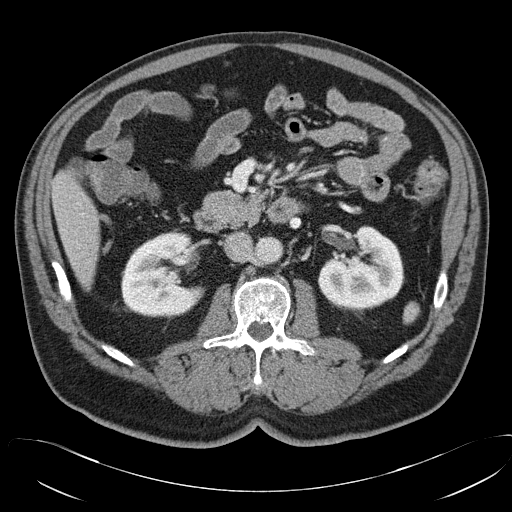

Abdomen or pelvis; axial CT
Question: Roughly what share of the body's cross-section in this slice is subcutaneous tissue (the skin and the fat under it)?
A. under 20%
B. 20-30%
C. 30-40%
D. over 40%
Answer: A. under 20%
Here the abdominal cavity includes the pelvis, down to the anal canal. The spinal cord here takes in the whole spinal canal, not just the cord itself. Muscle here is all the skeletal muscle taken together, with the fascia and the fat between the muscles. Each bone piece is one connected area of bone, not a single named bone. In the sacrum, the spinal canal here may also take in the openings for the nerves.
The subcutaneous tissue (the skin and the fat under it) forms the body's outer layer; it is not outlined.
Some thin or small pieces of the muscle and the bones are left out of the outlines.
The bones appear in 5 outlined pieces: piece 1: 261,276 284,279 292,300 284,332 290,338 306,340 316,352 304,355 283,349 273,354 269,348 265,349 260,358 263,391 256,390 252,382 255,354 251,348 203,346 206,339 235,329 234,292 245,281 with a hole at 253,322 258,322 260,324 262,324 263,323 268,323 272,328 272,332 271,333 271,334 268,337 267,337 263,340 257,340 256,339 255,339 252,336 251,336 248,332 248,328 249,327 249,326; piece 2: 443,268 444,268 446,271 446,273 447,274 447,278 448,279 447,281 447,295 442,306 439,309 436,310 433,304 433,296 434,295 434,288 435,287 435,284 436,283 436,280 437,279 438,273 439,271; piece 3: 53,260 57,261 64,269 67,279 69,282 69,285 70,286 72,296 71,297 71,300 68,303 66,303 63,300 61,295 59,293 59,291 58,290 58,284 57,283 57,278 55,274 55,271 51,264 51,262; piece 4: 101,341 102,342 107,343 115,347 117,349 120,350 122,352 123,352 128,357 129,357 134,363 135,363 136,366 135,367 131,367 124,363 122,363 114,359 111,356 108,355 100,346 100,344 99,343; piece 5: 407,341 409,342 409,345 408,346 408,348 407,350 402,355 394,359 392,361 388,362 387,363 383,363 381,361 382,359 386,355 387,355 390,352 391,352 393,350 394,350 396,348 397,348 399,346 400,346. The torso is outlined by 248,30 318,35 387,61 435,94 476,146 489,196 481,321 457,387 419,420 327,445 291,445 257,426 220,446 180,448 92,421 60,401 42,376 28,333 14,243 17,185 35,138 66,101 117,66 186,39. The spinal cord is outlined by 253,322 258,322 260,324 262,324 263,323 268,323 272,328 272,332 271,333 271,334 268,337 267,337 263,340 257,340 256,339 255,339 252,336 251,336 248,332 248,328 249,327 249,326. The muscle is outlined by 253,42 261,42 262,43 287,42 304,44 320,48 326,48 358,59 399,81 418,96 423,98 439,109 454,124 466,144 467,150 469,152 474,166 477,182 478,200 480,206 480,227 478,233 479,236 477,246 475,251 475,259 472,267 471,280 466,292 465,298 454,314 454,320 445,328 444,331 439,336 439,339 434,345 433,351 428,360 420,369 410,376 386,384 356,403 345,407 339,407 336,409 315,415 302,415 294,413 293,411 283,410 263,395 262,396 254,395 251,396 240,407 229,413 220,413 214,416 195,414 185,410 174,403 161,391 156,392 139,383 123,379 92,366 84,359 80,353 76,351 71,346 68,339 68,335 54,324 49,317 44,305 41,302 41,295 34,278 33,270 29,257 29,251 25,238 24,198 32,166 42,142 49,129 54,122 68,108 82,97 105,86 120,76 164,56 190,48 210,44 252,43; inner edge: 245,46 289,51 383,85 442,140 451,183 438,270 446,271 447,295 439,309 429,305 422,329 390,362 321,336 314,288 302,278 293,280 284,332 316,353 265,349 263,391 252,382 251,348 203,346 236,327 227,282 216,287 195,336 143,359 128,355 135,367 108,355 82,323 74,294 66,303 59,293 51,262 64,261 50,186 72,126 115,90. The abdominal cavity is outlined by 245,46 289,51 383,85 442,140 451,183 432,302 422,329 381,358 320,335 314,288 302,278 293,280 293,299 282,276 248,279 232,292 221,283 195,336 143,359 82,323 50,211 68,132 115,90.